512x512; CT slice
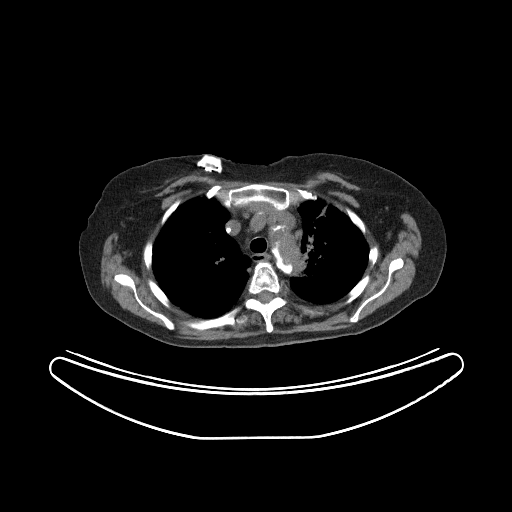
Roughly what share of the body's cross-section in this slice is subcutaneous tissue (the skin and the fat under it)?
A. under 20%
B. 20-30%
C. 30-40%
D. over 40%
C. 30-40%
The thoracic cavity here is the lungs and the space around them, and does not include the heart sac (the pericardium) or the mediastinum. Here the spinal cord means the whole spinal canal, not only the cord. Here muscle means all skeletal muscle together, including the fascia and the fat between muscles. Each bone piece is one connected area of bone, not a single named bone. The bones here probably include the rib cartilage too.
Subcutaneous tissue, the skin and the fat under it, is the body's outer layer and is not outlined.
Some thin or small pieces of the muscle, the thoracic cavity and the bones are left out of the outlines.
muscle 1: [[320,171],[337,174],[360,187],[363,211],[373,224],[379,227],[389,227],[404,212],[409,213],[414,218],[422,239],[416,272],[408,289],[386,305],[359,320],[363,308],[386,290],[391,282],[392,274],[404,265],[404,260],[400,256],[393,258],[388,264],[384,284],[360,303],[349,317],[348,321],[354,323],[348,327],[324,331],[271,333],[274,329],[273,313],[285,306],[290,296],[297,302],[307,304],[328,304],[346,296],[343,304],[351,303],[363,292],[370,281],[370,275],[368,273],[364,274],[368,263],[373,266],[379,255],[378,246],[375,244],[369,247],[366,241],[364,221],[350,207],[345,206],[343,212],[309,190],[298,187],[289,189],[259,182],[284,181],[299,183]], around a hole outlined by [[302,307],[308,307],[309,308],[311,308],[312,309],[313,309],[314,310],[315,310],[316,311],[317,311],[318,312],[318,313],[316,313],[315,314],[310,314],[309,313],[305,313],[303,311],[303,309],[302,308]]
muscle 2: [[193,173],[256,182],[226,191],[214,184],[203,194],[183,202],[180,198],[173,201],[161,216],[161,227],[153,243],[149,239],[142,248],[145,267],[152,270],[156,281],[148,278],[147,285],[166,308],[172,303],[199,318],[185,320],[189,328],[203,331],[242,325],[248,319],[242,312],[244,308],[262,316],[267,333],[220,340],[174,336],[123,309],[101,282],[106,238],[116,232],[136,252],[154,226],[154,196],[173,181]] with a hole at [[119,273],[123,273],[131,277],[134,282],[136,292],[140,300],[152,310],[161,313],[170,319],[174,324],[174,329],[170,330],[164,325],[164,323],[161,319],[145,310],[138,303],[135,298],[133,290],[129,286],[122,285],[114,279],[114,276],[116,274]]
bones 1: [[260,260],[269,262],[279,279],[289,289],[287,303],[277,308],[271,315],[273,329],[270,333],[266,331],[263,316],[256,310],[244,307],[241,312],[247,316],[247,319],[242,324],[235,323],[199,330],[185,323],[187,320],[219,317],[241,304],[254,267]], around a hole outlined by [[262,291],[268,291],[269,292],[271,292],[273,294],[273,297],[269,301],[268,301],[267,302],[262,302],[261,301],[260,301],[257,298],[257,296],[258,295],[258,294],[259,294]]
bones 2: [[252,183],[262,183],[289,190],[303,189],[318,197],[315,200],[291,203],[282,209],[278,209],[264,201],[252,201],[240,205],[231,204],[229,207],[225,207],[216,197],[207,198],[205,196],[205,193],[212,186],[220,185],[221,190],[226,192],[229,189]]
bones 3: [[119,273],[123,273],[131,277],[134,282],[136,292],[140,300],[152,310],[161,313],[170,319],[174,324],[174,329],[170,330],[164,325],[164,323],[161,319],[145,310],[138,303],[135,298],[133,290],[129,286],[122,285],[114,279],[114,276],[116,274]]
bones 4: [[398,257],[400,257],[403,260],[403,265],[391,274],[390,282],[385,290],[380,295],[369,301],[362,308],[358,315],[358,320],[356,322],[349,321],[350,317],[356,311],[361,303],[367,298],[379,291],[385,284],[388,276],[389,264],[393,259]]
bones 5: [[366,274],[368,274],[369,275],[370,278],[369,279],[369,281],[365,286],[365,287],[362,291],[362,292],[351,302],[350,302],[349,303],[346,303],[345,304],[344,304],[344,301],[347,297],[347,296],[346,295],[349,292],[349,291],[362,278],[362,277]]
bones 6: [[148,279],[152,279],[155,282],[156,282],[156,283],[159,286],[159,287],[163,291],[163,292],[167,296],[167,297],[169,299],[169,300],[170,301],[170,307],[166,307],[153,294],[153,293],[151,291],[151,290],[148,285],[148,283],[147,282]]
bones 7: [[345,207],[348,207],[352,210],[353,210],[361,218],[361,219],[363,221],[363,222],[365,225],[365,234],[364,235],[359,229],[359,228],[357,226],[356,226],[351,221],[351,220],[349,218],[349,217],[345,213],[345,211],[344,210],[344,208]]
bones 8: [[149,240],[150,240],[152,242],[152,254],[151,255],[151,268],[150,269],[148,269],[146,267],[146,265],[145,264],[145,262],[144,261],[144,254],[143,253],[143,248],[144,247],[144,245]]
bones 9: [[177,199],[180,199],[182,202],[176,208],[176,209],[167,218],[167,219],[165,221],[165,222],[163,224],[163,225],[161,225],[161,219],[162,218],[162,216],[163,215],[163,214],[164,213],[164,212],[170,206],[170,205],[173,202],[174,202]]
bones 10: [[375,245],[376,245],[377,246],[377,247],[378,248],[378,255],[377,256],[377,258],[376,259],[376,261],[375,262],[375,263],[373,265],[371,265],[371,264],[369,262],[369,261],[368,260],[368,256],[369,255],[369,249],[372,246],[374,246]]
torso: [[314,152],[365,159],[397,173],[418,188],[441,216],[447,249],[440,277],[427,295],[394,317],[362,333],[330,339],[276,347],[186,348],[130,328],[103,311],[90,296],[78,241],[102,189],[116,174],[170,156],[211,154],[236,162],[267,164],[287,155]]
thoracic cavity 1: [[204,194],[207,199],[216,198],[227,210],[229,217],[224,224],[225,231],[236,242],[241,253],[250,260],[250,264],[246,269],[250,277],[245,287],[242,299],[228,311],[211,318],[196,317],[171,302],[157,283],[152,269],[153,244],[162,226],[182,203]]
thoracic cavity 2: [[318,198],[321,198],[327,204],[335,206],[358,228],[369,248],[368,262],[361,278],[344,296],[328,303],[307,303],[293,299],[285,282],[287,283],[291,277],[299,277],[304,274],[308,258],[305,253],[301,252],[303,228],[299,207],[302,202],[315,201]]
mediastinum: [[252,202],[268,203],[278,210],[300,203],[298,207],[302,228],[300,252],[307,258],[302,275],[291,276],[286,282],[280,279],[269,261],[262,259],[254,265],[250,275],[247,269],[251,260],[242,253],[237,242],[227,233],[225,224],[230,217],[226,208]]
spinal cord: [[262,291],[268,291],[269,292],[271,292],[273,294],[273,297],[269,301],[268,301],[267,302],[262,302],[261,301],[260,301],[257,298],[257,296],[258,295],[258,294],[259,294]]